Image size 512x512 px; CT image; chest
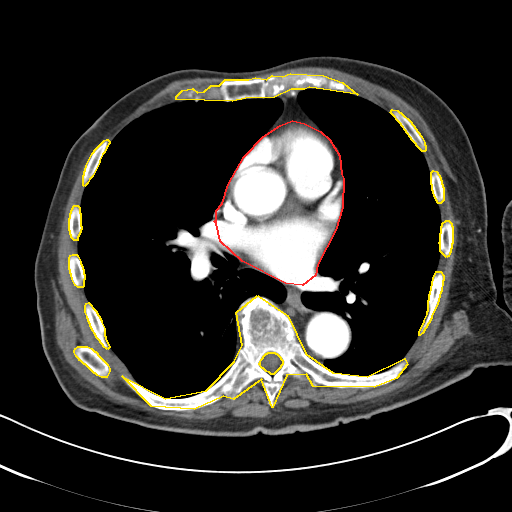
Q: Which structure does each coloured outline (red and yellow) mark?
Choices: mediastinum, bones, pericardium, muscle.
A: red: pericardium; yellow: bones.
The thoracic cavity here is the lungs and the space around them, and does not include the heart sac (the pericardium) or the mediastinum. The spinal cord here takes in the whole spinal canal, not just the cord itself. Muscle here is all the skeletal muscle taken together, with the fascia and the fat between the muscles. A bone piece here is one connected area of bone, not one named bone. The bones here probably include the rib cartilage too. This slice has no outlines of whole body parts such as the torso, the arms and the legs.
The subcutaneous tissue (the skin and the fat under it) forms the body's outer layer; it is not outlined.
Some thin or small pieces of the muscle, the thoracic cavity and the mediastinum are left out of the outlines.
pericardium: 292,120 304,123 320,131 329,139 339,155 341,174 343,178 342,207 335,230 317,264 315,275 302,285 285,283 242,261 220,241 216,223 214,221 216,220 216,210 222,203 228,184 244,156 263,136 280,125
bones 1: 257,295 287,315 305,353 332,372 367,376 404,358 407,364 396,378 374,387 313,386 306,374 286,375 272,407 261,379 233,399 223,396 194,409 151,406 122,376 165,398 206,390 234,361 242,345 236,312 with a hole at 268,352 274,352 275,353 276,353 280,357 280,358 282,360 282,364 280,366 280,367 273,374 271,374 269,372 266,371 263,368 262,368 259,364 259,363 260,362 261,359 263,357 263,356 266,353 267,353
bones 2: 290,73 323,75 342,82 357,94 309,87 304,89 291,89 274,97 245,98 232,101 176,99 176,96 182,90 192,88 197,92 204,91 211,85 219,85 225,79 248,79 255,77 266,79 272,75 282,76
bones 3: 78,346 87,346 91,348 94,351 95,351 97,353 97,354 107,364 109,368 109,371 106,377 101,377 97,375 95,373 94,373 85,364 84,364 80,360 79,360 79,359 76,356 74,352 74,350 75,348
bones 4: 436,271 440,271 443,275 443,280 442,281 441,291 440,292 437,303 431,316 431,318 422,333 419,335 419,331 424,322 424,320 427,314 427,311 428,310 428,300 429,299 429,294 430,293 433,278
bones 5: 88,302 95,310 101,320 101,322 104,328 104,335 105,336 105,339 109,346 109,347 107,349 103,346 103,345 97,338 90,326 90,324 88,321 88,319 87,318 87,316 85,312 85,305 86,303
bones 6: 392,109 397,110 399,112 400,112 411,122 411,123 414,126 414,127 421,136 424,142 424,144 425,145 425,150 424,151 422,151 416,145 416,144 411,139 411,138 406,132 406,131 401,125 401,124 390,112
bones 7: 106,139 107,139 109,141 109,143 106,147 104,152 102,154 99,160 99,162 92,176 89,179 87,183 84,186 83,185 83,175 84,174 84,171 85,170 86,165 92,153 94,151 94,150 104,140
bones 8: 446,220 448,220 451,223 451,225 452,226 452,243 451,244 451,248 450,249 450,252 449,253 448,256 447,256 446,257 440,251 440,244 439,243 439,242 440,241 440,233 441,232 441,226 442,225 442,223
bones 9: 72,254 76,254 77,255 80,261 80,263 82,266 82,268 83,269 83,273 84,274 84,279 83,280 83,286 82,287 78,287 75,285 72,279 71,274 70,273 70,270 69,269 69,257 70,255
bones 10: 74,205 77,205 79,207 79,212 80,213 80,225 81,226 81,229 80,230 80,232 77,237 77,240 74,240 71,237 71,235 70,234 70,231 69,230 69,218 70,217 70,213 71,212 71,210
bones 11: 433,170 436,171 437,172 437,173 439,175 439,176 440,177 440,179 441,180 441,183 442,184 442,186 443,187 443,200 440,203 438,203 437,202 437,201 434,196 433,191 432,190 432,185 431,184 431,172
mediastinum 1: 317,271 317,284 313,289 301,293 301,301 315,311 333,312 340,316 347,322 351,332 350,343 344,353 338,357 326,358 321,363 306,353 296,337 291,319 277,305 286,297 286,289 277,280 302,286 313,278
mediastinum 2: 291,90 301,90 297,94 297,100 301,108 318,126 325,135 320,130 318,130 304,122 301,122 294,119 289,120 280,124 274,129 264,135 276,121 282,112 283,109 283,102 278,96 284,92 288,92
mediastinum 3: 216,234 217,234 217,237 219,238 219,241 228,250 237,256 242,262 245,263 248,266 252,268 255,268 276,279 251,268 239,269 238,268 239,262 237,258 231,253 225,251 214,240 215,239 214,238 216,237
muscle 1: 300,66 330,67 377,84 417,110 429,126 459,191 460,217 454,260 454,292 468,316 469,327 474,335 414,385 331,411 310,413 285,409 255,421 224,422 159,415 111,400 82,380 64,359 56,342 54,326 51,271 60,223 80,165 93,149 82,175 84,188 80,205 74,204 69,213 68,230 70,237 77,241 77,254 69,255 68,269 74,285 83,287 88,301 84,305 84,312 92,332 102,346 107,350 110,348 124,364 133,378 123,374 122,380 148,405 159,410 194,410 211,405 223,397 233,400 250,383 261,380 267,404 272,408 286,376 302,380 306,375 311,379 313,387 374,388 393,381 407,366 409,359 404,357 431,320 442,291 444,275 437,270 440,254 448,257 453,243 452,223 448,219 441,221 439,204 444,200 441,177 434,169 430,172 423,154 426,150 425,142 404,114 394,108 387,111 342,81 311,72 244,78; inner edge: 78,346 87,346 91,348 94,351 95,351 97,353 97,354 107,364 109,368 109,371 106,377 101,377 97,375 95,373 94,373 85,364 84,364 80,360 79,360 79,359 76,356 74,352 74,350 75,348
muscle 2: 195,77 229,78 223,79 219,84 211,84 206,89 200,91 197,91 195,88 192,87 182,89 175,96 175,100 151,109 134,119 126,125 110,142 107,138 104,139 106,135 124,118 169,83 175,80
spinal cord: 268,352 274,352 275,353 276,353 280,357 280,358 282,360 282,364 280,366 280,367 273,374 271,374 269,372 266,371 263,368 262,368 259,364 259,363 260,362 261,359 263,357 263,356 266,353 267,353
thoracic cavity 1: 275,97 281,112 233,170 212,215 213,240 239,270 279,282 285,297 277,303 257,294 240,303 234,317 241,345 217,381 186,397 158,395 136,381 110,347 86,295 78,256 85,186 112,140 151,110 176,100
thoracic cavity 2: 309,88 358,95 391,114 422,152 438,204 440,253 425,317 405,355 377,373 344,374 320,364 345,353 352,339 351,328 340,315 310,308 301,297 318,284 318,264 336,230 344,199 339,149 298,100 298,94